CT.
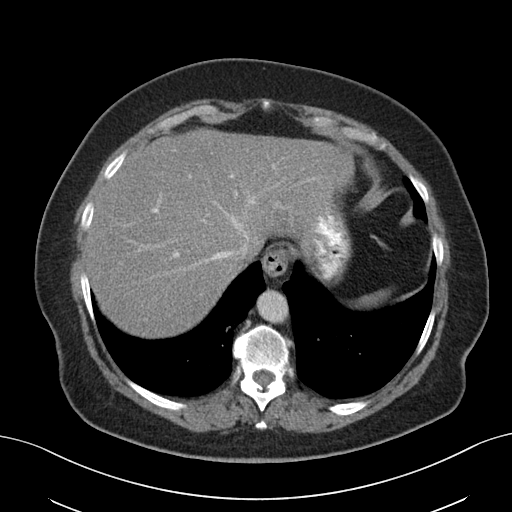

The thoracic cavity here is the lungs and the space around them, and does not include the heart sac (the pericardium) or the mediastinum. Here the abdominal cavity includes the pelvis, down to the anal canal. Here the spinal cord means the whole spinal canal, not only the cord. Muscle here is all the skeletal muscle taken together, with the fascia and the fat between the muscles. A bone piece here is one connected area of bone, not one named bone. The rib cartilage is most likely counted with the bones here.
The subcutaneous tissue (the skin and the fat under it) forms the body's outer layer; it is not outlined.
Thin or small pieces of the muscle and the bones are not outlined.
mediastinum 1: [[277,243],[285,243],[296,257],[296,261],[291,269],[289,278],[281,286],[286,296],[289,307],[293,341],[286,338],[275,328],[265,323],[257,324],[235,336],[235,327],[246,318],[250,308],[254,305],[257,297],[266,287],[263,278],[262,264],[259,258]]
mediastinum 2: [[357,141],[364,142],[366,144],[370,145],[372,147],[375,148],[378,151],[381,151],[385,154],[405,175],[402,177],[402,182],[403,183],[401,185],[390,185],[388,184],[385,181],[385,179],[383,175],[376,166],[373,158],[361,145],[358,145],[356,143]]
abdominal cavity: [[259,107],[279,108],[311,129],[355,140],[388,185],[403,184],[413,214],[431,234],[425,285],[393,305],[350,310],[306,273],[285,242],[277,242],[193,329],[162,339],[121,331],[98,309],[86,267],[88,230],[109,180],[160,130],[194,118],[220,124]]
thoracic cavity 1: [[433,255],[436,269],[430,310],[412,354],[391,379],[370,393],[345,401],[320,395],[299,381],[295,367],[290,362],[290,348],[294,347],[292,317],[282,287],[290,278],[296,262],[344,308],[354,312],[372,312],[403,302],[419,292],[428,281]]
thoracic cavity 2: [[257,261],[261,264],[265,287],[256,297],[245,318],[233,329],[231,354],[236,362],[230,376],[219,386],[196,396],[162,395],[132,380],[113,359],[96,324],[91,292],[101,315],[121,332],[144,340],[175,338],[197,327],[216,306],[230,284],[252,263]]
thoracic cavity 3: [[404,176],[407,176],[411,182],[412,185],[416,190],[417,193],[421,198],[425,207],[425,211],[426,212],[426,215],[427,216],[427,221],[424,221],[423,219],[419,217],[417,217],[414,214],[414,200],[410,192],[404,185],[404,183],[403,182],[403,177]]
torso: [[222,57],[274,60],[360,81],[406,105],[444,143],[477,220],[489,279],[488,317],[465,361],[464,394],[447,415],[347,453],[236,463],[137,445],[94,428],[70,406],[58,378],[54,337],[34,287],[36,240],[49,197],[88,129],[114,101],[164,72]]
spinal cord: [[260,370],[266,370],[267,371],[270,372],[273,376],[273,378],[272,379],[272,380],[265,387],[265,389],[264,389],[264,388],[261,385],[260,385],[257,382],[256,382],[253,378],[253,375],[254,374],[254,373],[256,371],[259,371]]
bones 1: [[260,324],[270,326],[293,342],[293,347],[289,348],[289,362],[294,367],[295,373],[292,379],[286,374],[283,377],[285,392],[271,399],[262,411],[260,411],[256,402],[250,396],[241,391],[238,380],[231,382],[231,375],[237,362],[232,354],[234,338]] with a hole at [[260,370],[266,370],[267,371],[270,372],[273,376],[273,378],[272,379],[272,380],[265,387],[265,389],[264,389],[264,388],[261,385],[260,385],[257,382],[256,382],[253,378],[253,375],[254,374],[254,373],[256,371],[259,371]]
bones 2: [[205,104],[211,104],[216,106],[218,108],[218,112],[214,117],[212,116],[205,116],[204,115],[193,116],[185,121],[171,127],[168,127],[165,129],[156,129],[152,133],[148,132],[149,128],[153,127],[158,122],[169,116],[182,112],[194,106],[204,105]]
bones 3: [[125,377],[129,378],[135,383],[154,393],[161,395],[171,400],[184,403],[186,406],[178,410],[172,410],[171,409],[168,409],[167,408],[164,408],[163,407],[158,406],[152,403],[149,400],[143,397],[135,390],[134,390],[126,382],[125,380]]
bones 4: [[344,125],[357,128],[364,132],[368,132],[369,133],[370,132],[374,132],[380,141],[384,141],[386,143],[385,149],[384,150],[378,150],[375,147],[372,146],[370,144],[366,143],[364,141],[360,141],[359,140],[346,137],[341,133],[339,129],[341,126]]
bones 5: [[357,400],[368,400],[369,402],[363,408],[353,413],[351,413],[350,414],[347,414],[346,415],[339,415],[338,414],[336,414],[332,412],[328,409],[328,407],[330,405],[333,405],[336,403],[345,403],[346,402],[350,402],[351,401],[356,401]]
bones 6: [[431,308],[434,308],[434,310],[435,311],[435,315],[434,316],[434,321],[433,322],[433,325],[431,329],[431,332],[421,352],[417,356],[414,356],[413,353],[419,341],[419,339],[423,331],[424,326],[426,323],[426,321],[429,315],[429,313],[431,310]]
bones 7: [[82,272],[85,272],[86,273],[89,282],[89,289],[90,290],[90,296],[91,297],[91,304],[92,305],[92,309],[93,310],[93,315],[94,316],[95,323],[91,320],[84,301],[84,298],[82,293],[82,289],[81,288],[81,283],[80,282],[80,275]]
bones 8: [[124,150],[126,150],[127,151],[127,153],[126,154],[126,156],[125,157],[125,158],[123,160],[121,165],[118,168],[118,169],[115,172],[115,173],[109,179],[106,179],[104,177],[104,172],[106,169],[106,167],[115,157],[116,157],[121,152],[122,152]]
bones 9: [[433,233],[436,233],[441,238],[442,240],[442,244],[443,245],[443,259],[442,260],[442,262],[440,266],[437,266],[436,264],[436,260],[435,259],[435,256],[433,252],[433,248],[432,247],[432,235]]
bones 10: [[90,201],[91,201],[94,205],[94,209],[93,210],[93,215],[92,216],[91,222],[90,223],[90,225],[88,229],[87,230],[85,230],[81,227],[81,225],[80,224],[80,222],[81,221],[81,216],[82,215],[82,213],[84,210],[84,208],[86,204]]
bones 11: [[410,173],[413,176],[414,176],[416,178],[419,179],[424,184],[424,185],[427,190],[427,193],[428,194],[428,201],[426,203],[424,203],[424,202],[423,201],[422,198],[420,196],[420,195],[418,193],[417,190],[413,185],[412,182],[408,177],[408,175]]
bones 12: [[314,116],[326,116],[327,117],[330,117],[331,118],[334,119],[337,122],[337,124],[336,125],[336,126],[334,126],[333,127],[328,127],[327,128],[324,128],[323,127],[318,127],[317,126],[316,126],[312,122],[312,121],[311,120],[312,117],[313,117]]
muscle: [[259,97],[271,98],[275,100],[290,103],[306,104],[311,106],[316,106],[333,110],[349,116],[370,126],[380,135],[382,135],[389,140],[407,158],[428,182],[435,198],[438,212],[443,219],[446,229],[446,236],[448,239],[450,251],[450,268],[447,273],[448,309],[445,317],[445,324],[442,330],[439,345],[434,358],[430,362],[425,372],[418,382],[406,392],[394,399],[389,404],[364,418],[357,420],[343,427],[327,432],[293,433],[289,431],[285,431],[283,429],[281,429],[280,430],[281,431],[279,433],[274,430],[269,429],[265,429],[262,431],[244,429],[234,431],[227,434],[220,434],[218,431],[194,432],[181,427],[179,425],[143,408],[120,392],[114,390],[102,375],[96,363],[90,356],[86,344],[83,339],[80,326],[80,319],[76,303],[74,301],[71,293],[70,267],[71,262],[74,259],[74,247],[73,246],[74,241],[72,239],[74,230],[73,220],[77,208],[94,182],[103,162],[107,157],[118,146],[148,122],[169,109],[182,103],[202,98],[220,98],[226,100],[240,101],[242,99],[258,98]], around holes outlined by [[265,99],[270,109],[331,136],[342,136],[344,125],[374,132],[386,143],[381,151],[424,184],[429,230],[443,245],[431,332],[421,352],[385,384],[345,401],[286,374],[285,392],[262,411],[230,376],[204,394],[164,395],[183,408],[158,406],[126,382],[90,318],[80,282],[89,231],[81,227],[82,213],[106,187],[110,162],[157,134],[159,129],[148,129],[158,122],[211,104],[218,108],[214,117],[186,120],[220,124]] and by [[357,400],[368,400],[369,402],[363,408],[353,413],[351,413],[350,414],[347,414],[346,415],[339,415],[338,414],[336,414],[332,412],[328,409],[328,407],[330,405],[333,405],[336,403],[345,403],[346,402],[350,402],[351,401],[356,401]] and by [[314,116],[326,116],[327,117],[330,117],[331,118],[334,119],[337,122],[337,124],[336,125],[336,126],[334,126],[333,127],[328,127],[327,128],[324,128],[323,127],[318,127],[317,126],[316,126],[312,122],[312,121],[311,120],[312,117],[313,117]] and by [[262,419],[263,420],[264,420],[264,421],[266,423],[266,425],[267,426],[266,427],[266,428],[265,428],[264,429],[260,429],[259,428],[256,428],[255,427],[255,424],[257,422],[258,422],[260,420],[261,420]]